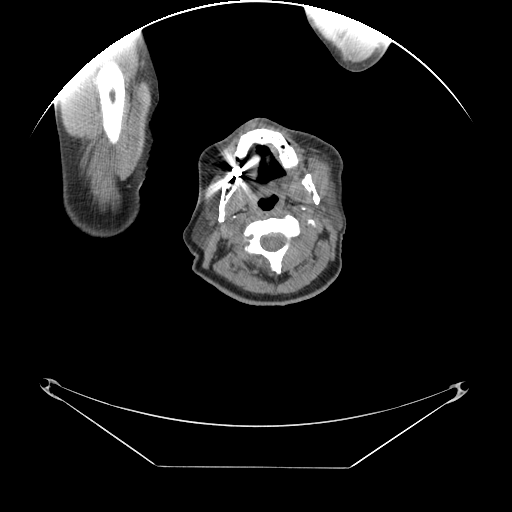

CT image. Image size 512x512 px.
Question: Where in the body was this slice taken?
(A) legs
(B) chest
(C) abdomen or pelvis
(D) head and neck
Answer: (D) head and neck
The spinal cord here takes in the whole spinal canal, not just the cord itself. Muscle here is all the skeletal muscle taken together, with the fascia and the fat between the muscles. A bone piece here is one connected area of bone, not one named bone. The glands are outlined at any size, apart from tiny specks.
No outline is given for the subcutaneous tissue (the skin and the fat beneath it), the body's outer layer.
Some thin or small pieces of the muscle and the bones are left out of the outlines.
{"bones":[[[261,127],[281,132],[297,153],[298,163],[292,168],[284,169],[272,144],[254,145],[245,161],[244,159],[238,161],[240,165],[243,164],[240,171],[240,186],[229,197],[225,205],[224,220],[219,222],[222,177],[232,168],[231,159],[239,138],[243,133]],[[110,59],[112,59],[119,65],[123,74],[124,88],[125,89],[124,107],[123,108],[124,110],[122,116],[121,130],[119,135],[119,139],[115,144],[111,144],[109,142],[103,130],[99,92],[97,85],[94,82],[96,72],[98,68],[102,63],[106,60]],{"outer":[[286,214],[290,214],[294,216],[299,221],[300,233],[291,241],[289,248],[282,258],[281,272],[278,274],[270,268],[269,261],[263,255],[251,254],[244,249],[244,247],[248,243],[244,240],[243,231],[250,222],[257,219],[265,219],[269,217],[282,217]],"hole":[[277,233],[282,234],[285,237],[286,240],[283,244],[283,245],[279,248],[278,248],[276,250],[274,250],[273,251],[271,250],[267,250],[263,248],[260,243],[260,239],[261,237],[265,235],[268,235],[269,234],[276,234]]},[[307,173],[311,174],[312,181],[314,183],[315,187],[316,188],[316,190],[320,197],[320,201],[318,204],[315,204],[314,203],[313,201],[313,194],[311,192],[307,191],[307,190],[301,183],[301,180],[302,178],[305,175],[305,174]]],"right_arm":[[[139,28],[142,28],[141,32],[147,42],[159,88],[159,102],[149,127],[154,143],[146,177],[139,191],[141,208],[137,218],[125,232],[106,238],[91,237],[71,224],[62,206],[60,155],[54,118],[56,101],[54,102],[54,99],[86,63],[110,44]]],"muscle":[{"outer":[[259,123],[285,130],[291,134],[296,140],[324,152],[333,163],[333,178],[330,180],[326,193],[322,199],[322,209],[327,220],[337,232],[335,259],[329,264],[329,266],[317,280],[303,289],[291,294],[269,295],[246,292],[202,267],[202,251],[205,248],[213,230],[213,226],[207,220],[206,213],[203,209],[203,190],[208,183],[210,176],[208,172],[208,167],[211,160],[219,151],[219,148],[222,145],[226,144],[240,130]],"holes":[[[261,127],[281,132],[297,153],[298,163],[292,168],[284,169],[279,176],[265,182],[259,181],[258,168],[262,157],[256,150],[258,146],[254,145],[241,168],[240,186],[229,197],[224,220],[219,222],[222,177],[231,170],[231,159],[239,138],[243,133]],[[286,214],[290,214],[294,216],[299,221],[300,233],[291,241],[289,248],[282,258],[281,272],[278,274],[270,268],[269,261],[263,255],[251,254],[244,249],[244,247],[248,243],[244,240],[243,231],[250,222],[257,219],[265,219],[269,217],[282,217]],[[307,173],[311,174],[312,181],[314,183],[315,187],[316,188],[316,190],[320,197],[320,201],[318,204],[315,204],[314,203],[313,201],[313,194],[311,192],[307,191],[307,190],[301,183],[301,180],[302,178],[305,175],[305,174]],[[272,195],[275,195],[276,196],[277,196],[277,200],[275,202],[275,203],[273,205],[273,206],[271,208],[270,208],[269,209],[263,209],[258,204],[258,201],[260,199],[261,199],[262,198],[263,199],[267,199],[268,198],[269,198]],[[309,218],[311,218],[312,219],[313,219],[315,221],[315,226],[312,226],[311,225],[308,225],[307,224],[307,223],[306,222],[306,221],[307,220],[307,219],[308,219]]]},{"outer":[[134,30],[137,38],[142,43],[143,53],[153,89],[145,150],[139,166],[127,181],[127,191],[120,209],[113,213],[103,213],[92,209],[83,196],[78,177],[77,159],[74,147],[64,131],[61,120],[59,107],[61,98],[60,90],[92,58],[110,44]],"hole":[[110,59],[112,59],[119,65],[123,74],[124,88],[125,89],[124,107],[123,108],[124,110],[122,116],[121,130],[119,135],[119,139],[115,144],[111,144],[109,142],[103,130],[99,92],[97,85],[94,82],[96,72],[98,68],[102,63],[106,60]]},[[309,6],[316,9],[335,11],[339,14],[358,22],[364,23],[371,27],[382,34],[378,47],[369,57],[362,62],[356,62],[355,63],[344,62],[341,59],[340,55],[338,54],[336,50],[328,42],[325,41],[315,29],[309,15],[310,11]],[[267,144],[270,144],[275,148],[277,155],[279,158],[279,163],[277,163],[275,161],[273,161],[272,162],[272,165],[271,165],[270,167],[268,165],[268,164],[266,163],[266,157],[270,157],[271,158],[272,157],[268,148],[265,146],[265,145]]],"parotid_glands":[[[332,179],[333,179],[335,183],[335,194],[336,195],[337,204],[343,218],[343,222],[342,223],[342,225],[338,231],[336,231],[332,224],[330,223],[323,209],[323,199],[325,197],[327,193],[327,191],[329,188],[330,182]],[[202,210],[203,210],[205,213],[205,218],[206,220],[209,223],[211,224],[212,226],[212,230],[211,231],[211,233],[210,235],[208,237],[207,242],[204,248],[202,250],[201,250],[193,241],[191,235],[192,234],[192,230]]],"head_and_neck":[{"outer":[[255,117],[266,117],[290,129],[308,132],[321,138],[336,148],[344,166],[342,199],[347,225],[342,239],[341,270],[334,281],[320,293],[286,305],[250,305],[225,295],[191,270],[193,255],[182,237],[198,197],[197,162],[201,152]],"holes":[[[258,146],[264,146],[267,148],[271,156],[271,157],[270,156],[266,156],[265,157],[265,163],[270,168],[273,165],[273,162],[279,164],[283,169],[283,174],[274,177],[265,182],[262,182],[258,180],[258,168],[262,158],[260,154],[256,150],[256,148]],[[272,195],[275,195],[276,196],[277,196],[277,200],[275,202],[275,203],[273,205],[273,206],[271,208],[270,208],[269,209],[263,209],[258,204],[258,201],[260,199],[261,199],[262,198],[263,199],[267,199],[268,198],[269,198]]]}],"spinal_cord":[[[277,233],[282,234],[285,237],[286,240],[283,244],[283,245],[279,248],[278,248],[276,250],[274,250],[273,251],[271,250],[267,250],[263,248],[260,243],[260,239],[261,237],[265,235],[268,235],[269,234],[276,234]]],"left_arm":[[[301,3],[307,5],[308,7],[309,6],[316,9],[335,11],[346,17],[349,17],[364,23],[393,39],[383,53],[382,57],[369,68],[359,72],[352,72],[346,70],[338,64],[324,44],[315,34],[307,20],[307,17],[305,15],[305,12]]]}